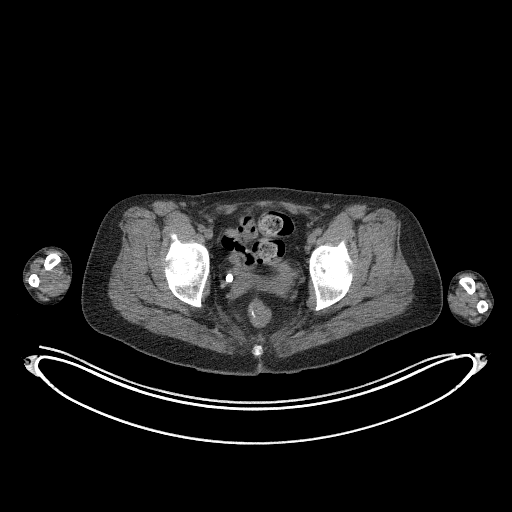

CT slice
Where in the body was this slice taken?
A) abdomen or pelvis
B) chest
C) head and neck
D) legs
Answer: A) abdomen or pelvis
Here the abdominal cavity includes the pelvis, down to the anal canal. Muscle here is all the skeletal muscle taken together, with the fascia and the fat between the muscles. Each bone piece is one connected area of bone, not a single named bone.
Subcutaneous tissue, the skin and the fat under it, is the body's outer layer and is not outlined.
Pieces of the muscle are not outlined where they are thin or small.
The right arm is outlined by 48,245 56,245 61,247 66,251 70,257 70,259 72,263 72,278 71,279 70,287 68,291 65,294 64,297 59,302 53,305 43,305 35,301 28,293 24,287 22,282 22,270 26,261 34,252 40,248. The abdominal cavity is outlined by 240,207 280,207 294,214 306,215 308,234 305,240 305,251 308,256 309,275 307,294 297,306 295,314 267,335 246,335 242,328 215,302 215,297 210,293 210,252 206,245 211,241 215,218 218,215 230,214. The bones appear in 7 outlined pieces: piece 1: 172,232 176,233 177,237 182,242 188,242 193,240 205,245 208,249 209,252 209,275 202,291 201,298 202,305 201,307 192,306 180,300 172,293 168,287 164,273 165,266 164,258 171,242 170,233; piece 2: 342,239 344,239 346,242 346,246 348,250 349,256 353,262 353,276 351,284 348,291 341,299 325,308 316,311 314,309 316,305 315,291 313,283 309,274 308,259 312,250 315,247 322,244 336,245; piece 3: 51,252 56,252 59,255 59,256 60,257 60,261 56,265 55,265 50,270 46,270 45,269 45,268 44,267 44,261 45,260 45,258 46,257 46,256 49,253 50,253; piece 4: 464,276 469,276 470,277 471,277 473,279 473,280 475,282 475,291 472,294 469,294 465,290 465,289 459,283 459,279 460,278 461,278 462,277 463,277; piece 5: 33,273 34,273 35,274 36,274 38,276 38,277 39,278 39,284 38,285 38,286 37,287 32,287 28,283 28,279 29,278 29,276 31,274 32,274; piece 6: 479,300 484,300 487,303 487,305 488,306 488,308 487,309 487,310 486,311 485,311 483,313 480,313 479,312 478,312 478,311 477,310 477,307 476,306 477,305 477,303 479,301; piece 7: 255,344 260,344 262,346 262,349 263,350 263,352 261,354 261,355 259,357 255,357 252,354 252,348 253,347 253,346. The muscle appears in 3 outlined pieces: piece 1: 147,200 171,200 193,213 257,200 328,214 357,203 384,206 401,222 399,244 413,275 413,298 390,319 282,358 260,357 260,343 252,346 253,356 230,355 153,333 118,314 108,296 122,243 119,222 128,208 with a hole at 240,207 280,207 306,215 309,257 315,247 336,245 344,239 353,262 345,295 316,311 310,278 295,314 267,335 246,335 215,302 209,275 201,307 176,297 164,273 170,233 176,233 182,242 207,245 215,218; piece 2: 49,249 55,249 62,253 63,265 68,276 68,281 66,288 60,294 51,297 48,300 42,300 32,288 37,288 39,286 39,276 33,272 28,276 27,282 25,280 25,275 29,269 30,264 37,257; inner edge: 51,252 56,252 59,255 59,256 60,257 60,261 56,265 55,265 50,270 46,270 45,269 45,268 44,267 44,261 45,260 45,258 46,257 46,256 49,253 50,253; piece 3: 463,273 473,274 477,278 476,279 484,285 487,297 490,300 489,308 488,303 484,299 478,300 475,306 476,310 478,313 483,314 479,321 474,323 456,313 453,310 450,302 450,296 454,292 458,282 458,276, around a hole outlined by 464,276 469,276 470,277 471,277 473,279 473,280 475,282 475,291 472,294 469,294 465,290 465,289 459,283 459,279 460,278 461,278 462,277 463,277. The left arm is outlined by 463,269 472,269 480,273 486,280 492,292 492,294 494,298 494,304 493,305 493,308 490,315 483,324 475,327 467,326 459,322 452,315 448,307 448,304 447,303 447,290 448,289 449,282 455,273. The torso is outlined by 266,186 385,197 399,201 408,207 424,231 442,282 441,313 430,326 388,341 357,356 319,368 294,373 230,375 205,372 165,362 102,335 87,323 80,301 83,273 98,227 106,212 114,204 140,193 201,194.